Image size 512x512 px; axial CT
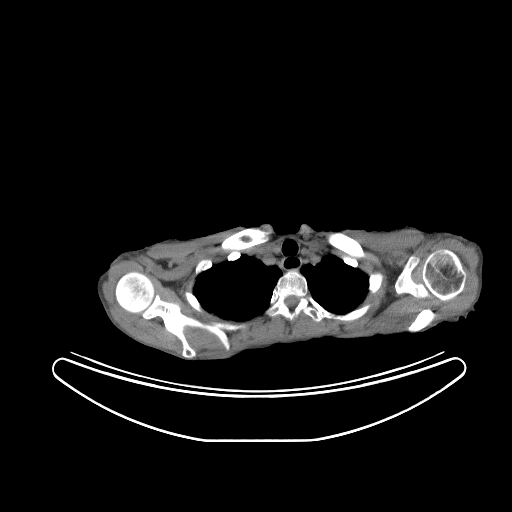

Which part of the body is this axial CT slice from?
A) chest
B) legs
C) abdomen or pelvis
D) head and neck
Answer: A) chest
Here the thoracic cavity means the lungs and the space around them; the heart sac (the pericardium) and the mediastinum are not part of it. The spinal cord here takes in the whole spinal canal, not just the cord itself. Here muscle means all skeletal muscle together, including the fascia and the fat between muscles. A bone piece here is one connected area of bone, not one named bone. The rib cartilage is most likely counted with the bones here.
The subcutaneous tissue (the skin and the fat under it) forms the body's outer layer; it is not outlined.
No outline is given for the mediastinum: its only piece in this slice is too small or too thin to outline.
torso: (265, 222) (280, 234) (294, 233) (302, 223) (317, 231) (389, 230) (409, 225) (428, 232) (419, 259) (421, 278) (431, 297) (458, 321) (442, 322) (411, 334) (278, 343) (229, 359) (205, 361) (186, 361) (131, 339) (118, 329) (140, 319) (157, 296) (156, 264) (144, 246)
thoracic cavity: (287, 237) (310, 248) (331, 253) (366, 274) (367, 292) (357, 307) (345, 313) (326, 309) (312, 296) (306, 278) (297, 269) (288, 269) (277, 279) (268, 306) (260, 314) (236, 321) (204, 309) (193, 293) (200, 273) (210, 269) (213, 264) (235, 261) (241, 254) (273, 246)
left arm: (434, 230) (445, 230) (476, 240) (480, 244) (483, 250) (483, 269) (482, 270) (483, 287) (481, 295) (475, 304) (475, 311) (470, 312) (466, 318) (460, 317) (459, 319) (452, 315) (440, 305) (432, 297) (422, 278) (420, 267) (420, 259) (422, 251) (427, 243) (429, 232)
bones 1: (130, 271) (145, 274) (155, 293) (164, 301) (177, 303) (186, 316) (203, 322) (248, 325) (226, 333) (228, 350) (214, 334) (186, 326) (184, 334) (196, 352) (195, 357) (186, 358) (182, 355) (181, 341) (165, 328) (159, 316) (146, 319) (117, 302) (116, 284)
bones 2: (438, 249) (451, 250) (459, 257) (466, 274) (462, 291) (448, 300) (441, 300) (432, 294) (424, 298) (415, 297) (408, 293) (398, 294) (395, 290) (395, 282) (409, 257) (414, 255) (419, 258) (411, 277) (414, 282) (421, 283) (423, 281) (423, 264) (428, 255)
bones 3: (288, 270) (297, 270) (305, 278) (313, 299) (330, 312) (335, 314) (345, 314) (365, 304) (370, 304) (370, 307) (362, 316) (350, 321) (325, 317) (320, 321) (314, 321) (303, 312) (292, 321) (289, 321) (280, 314) (270, 317) (264, 312) (269, 306) (273, 289) (278, 279), around a hole outlined by (288, 296) (295, 296) (296, 297) (297, 297) (298, 298) (298, 302) (297, 303) (297, 304) (292, 309) (291, 309) (290, 308) (289, 308) (285, 304) (285, 299)
bones 4: (252, 226) (259, 227) (263, 230) (271, 230) (271, 233) (269, 235) (268, 241) (241, 250) (240, 251) (240, 256) (235, 260) (231, 261) (227, 260) (227, 255) (229, 252) (227, 250) (224, 250) (221, 248) (221, 243) (223, 240) (235, 232) (237, 232) (244, 228)
bones 5: (336, 231) (343, 232) (350, 237) (355, 239) (363, 249) (365, 253) (365, 256) (363, 257) (358, 257) (357, 258) (357, 263) (358, 264) (357, 267) (353, 267) (345, 263) (342, 259) (342, 256) (346, 254) (342, 250) (331, 245) (327, 241) (327, 234) (328, 232) (335, 232)
bones 6: (427, 308) (432, 310) (432, 311) (435, 313) (435, 314) (436, 315) (435, 318) (428, 325) (425, 326) (423, 328) (422, 328) (419, 330) (417, 330) (416, 331) (414, 331) (413, 332) (408, 331) (406, 329) (407, 328) (407, 327) (415, 318) (416, 315) (422, 309) (426, 309)
bones 7: (374, 272) (380, 272) (383, 275) (383, 278) (382, 279) (382, 282) (381, 283) (381, 285) (380, 286) (380, 287) (374, 293) (371, 293) (370, 294) (369, 293) (368, 293) (368, 284) (369, 283) (368, 282) (368, 280) (369, 279) (369, 275) (371, 273) (373, 273)
bones 8: (186, 290) (190, 290) (192, 292) (192, 293) (196, 297) (196, 298) (198, 300) (198, 301) (199, 302) (200, 305) (203, 308) (203, 309) (204, 310) (202, 312) (196, 310) (193, 307) (192, 307) (191, 306) (191, 305) (186, 300) (186, 299) (184, 296) (184, 292)
bones 9: (207, 258) (209, 258) (211, 260) (211, 261) (212, 262) (212, 265) (211, 266) (211, 267) (206, 270) (204, 270) (203, 271) (200, 272) (197, 275) (196, 275) (195, 274) (195, 268) (196, 267) (196, 265) (197, 264) (197, 263) (200, 260) (201, 260) (202, 259) (206, 259)
spinal cord: (288, 296) (295, 296) (296, 297) (297, 297) (298, 298) (298, 302) (297, 303) (297, 304) (292, 309) (291, 309) (290, 308) (289, 308) (285, 304) (285, 299)
muscle 1: (404, 229) (429, 238) (455, 238) (475, 248) (477, 291) (463, 311) (433, 321) (437, 315) (427, 307) (405, 329) (326, 333) (222, 355) (196, 356) (186, 327) (214, 335) (224, 349) (228, 351) (230, 342) (227, 333) (245, 329) (249, 323) (244, 321) (263, 313) (270, 318) (280, 315) (289, 322) (301, 313) (314, 322) (325, 318) (350, 322) (362, 317) (371, 304) (360, 304) (367, 293) (374, 294) (381, 287) (384, 275) (380, 271) (368, 275) (358, 267) (358, 258) (366, 253) (344, 232), around a hole outlined by (438, 249) (451, 250) (459, 257) (466, 274) (462, 291) (448, 300) (441, 300) (432, 294) (424, 298) (415, 297) (408, 293) (398, 294) (395, 290) (395, 282) (409, 257) (414, 255) (419, 258) (411, 277) (414, 282) (421, 283) (423, 281) (423, 264) (428, 255)
muscle 2: (234, 230) (239, 230) (220, 243) (220, 248) (228, 252) (226, 259) (215, 263) (209, 257) (200, 259) (194, 268) (192, 291) (186, 289) (183, 296) (198, 312) (205, 310) (224, 320) (242, 322) (203, 321) (186, 315) (177, 302) (162, 299) (152, 280) (137, 270) (127, 271) (117, 280) (116, 302) (125, 311) (140, 314) (146, 320) (159, 317) (164, 328) (180, 341) (181, 354) (136, 337) (116, 321) (102, 287) (114, 264) (143, 254) (158, 244) (198, 240)
muscle 3: (263, 225) (269, 226) (275, 232) (277, 236) (292, 236) (297, 234) (304, 227) (308, 227) (320, 232) (327, 232) (326, 241) (331, 246) (342, 251) (345, 254) (342, 255) (341, 258) (331, 252) (324, 251) (322, 249) (318, 249) (305, 245) (294, 237) (290, 236) (284, 237) (273, 245) (260, 247) (249, 252) (241, 253) (241, 251) (243, 250) (251, 248) (257, 245) (264, 244) (269, 241) (272, 230) (271, 229) (263, 229) (261, 228) (260, 226)
right arm: (143, 247) (151, 256) (156, 268) (156, 296) (155, 297) (155, 300) (151, 307) (140, 318) (125, 326) (123, 326) (120, 328) (116, 328) (108, 319) (103, 309) (103, 307) (96, 291) (96, 282) (100, 274) (108, 267) (110, 262) (119, 253) (125, 250) (136, 249)